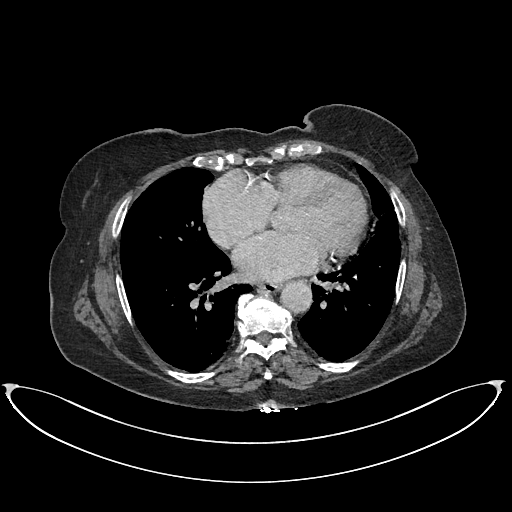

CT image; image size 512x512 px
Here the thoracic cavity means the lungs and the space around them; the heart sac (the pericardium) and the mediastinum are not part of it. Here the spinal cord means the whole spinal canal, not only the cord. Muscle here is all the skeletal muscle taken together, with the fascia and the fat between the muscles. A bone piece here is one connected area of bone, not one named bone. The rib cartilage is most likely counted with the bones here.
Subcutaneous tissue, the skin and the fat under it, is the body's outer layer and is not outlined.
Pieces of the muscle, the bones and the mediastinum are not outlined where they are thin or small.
The mediastinum appears in 3 outlined pieces: piece 1: (233, 267) (244, 278) (260, 284) (281, 283) (293, 278) (303, 276) (315, 276) (311, 283) (312, 303) (309, 309) (297, 321) (293, 321) (294, 318) (292, 313) (287, 308) (270, 297) (267, 293) (256, 295) (251, 292) (252, 286) (249, 283) (242, 283) (238, 281); piece 2: (328, 153) (330, 154) (337, 154) (351, 160) (352, 162) (355, 163) (355, 168) (358, 175) (354, 171) (351, 169) (349, 169) (346, 167) (345, 165) (337, 161) (334, 161) (330, 159) (326, 159) (322, 157) (303, 156) (305, 155) (315, 156) (320, 154) (327, 154); piece 3: (242, 163) (244, 163) (245, 165) (242, 165) (239, 167) (230, 167) (226, 171) (216, 176) (213, 176) (213, 175) (210, 172) (210, 171) (207, 169) (209, 169) (210, 170) (214, 170) (215, 171) (221, 171) (223, 170) (226, 167) (226, 164) (228, 165) (239, 165). The torso is outlined by (333, 103) (382, 116) (415, 148) (413, 170) (448, 233) (465, 296) (465, 325) (448, 354) (345, 399) (245, 411) (152, 399) (65, 359) (49, 324) (48, 273) (64, 231) (62, 188) (86, 152) (110, 139) (155, 128) (191, 134) (226, 127) (260, 132) (304, 127) (307, 113). The pericardium is outlined by (301, 157) (322, 158) (337, 162) (359, 177) (368, 192) (374, 218) (369, 234) (352, 259) (338, 268) (313, 276) (303, 275) (274, 283) (260, 283) (248, 279) (234, 268) (228, 256) (212, 241) (208, 234) (202, 219) (204, 188) (214, 177) (221, 175) (230, 168) (265, 165). The spinal cord is outlined by (263, 331) (266, 331) (267, 332) (268, 332) (269, 333) (270, 333) (273, 335) (273, 336) (271, 338) (271, 339) (269, 341) (269, 342) (266, 345) (264, 345) (263, 344) (260, 343) (258, 341) (257, 341) (255, 338) (255, 336) (256, 335) (257, 335) (259, 333) (260, 333). The muscle is outlined by (297, 138) (305, 138) (322, 141) (339, 148) (343, 148) (346, 150) (352, 151) (365, 157) (374, 164) (378, 171) (395, 182) (411, 203) (414, 213) (422, 230) (420, 234) (421, 235) (421, 254) (428, 267) (435, 276) (435, 280) (440, 289) (442, 298) (441, 310) (432, 320) (431, 324) (424, 332) (423, 336) (417, 343) (402, 350) (384, 360) (381, 363) (371, 367) (368, 370) (361, 373) (358, 373) (347, 379) (346, 378) (336, 379) (317, 385) (313, 385) (312, 387) (305, 389) (296, 389) (288, 387) (281, 383) (271, 380) (273, 377) (272, 372) (268, 367) (266, 367) (263, 372) (263, 378) (266, 380) (265, 382) (252, 391) (235, 393) (221, 390) (184, 388) (173, 385) (155, 376) (152, 376) (140, 371) (118, 358) (107, 348) (105, 344) (89, 328) (84, 326) (75, 319) (73, 313) (73, 306) (77, 298) (78, 291) (81, 288) (86, 276) (88, 274) (90, 257) (92, 254) (92, 251) (96, 240) (104, 225) (107, 215) (115, 203) (128, 190) (137, 184) (139, 180) (144, 175) (159, 166) (174, 162) (198, 152) (220, 148) (229, 150) (237, 147) (246, 147) (252, 150) (257, 150) (280, 141) with a hole at (300, 143) (396, 191) (406, 215) (398, 303) (345, 372) (319, 367) (324, 359) (293, 321) (297, 345) (267, 360) (236, 361) (235, 323) (213, 376) (185, 383) (168, 375) (174, 368) (129, 324) (118, 296) (121, 235) (111, 227) (121, 202) (130, 194) (130, 206) (197, 156). The thoracic cavity appears in 2 outlined pieces: piece 1: (192, 166) (206, 169) (213, 177) (204, 186) (201, 200) (201, 219) (207, 234) (229, 259) (237, 281) (249, 284) (251, 290) (237, 297) (234, 332) (230, 345) (218, 364) (209, 370) (186, 372) (160, 358) (136, 325) (121, 275) (120, 239) (129, 207) (140, 194) (170, 172); piece 2: (356, 164) (373, 175) (388, 193) (398, 224) (400, 259) (394, 284) (393, 302) (379, 331) (368, 345) (351, 359) (331, 361) (319, 356) (302, 338) (297, 322) (313, 303) (312, 283) (316, 276) (338, 269) (350, 262) (361, 250) (374, 228) (377, 218) (369, 192) (359, 176). The bones appear in 8 outlined pieces: piece 1: (249, 292) (256, 296) (267, 294) (291, 313) (293, 318) (292, 329) (297, 345) (293, 346) (288, 343) (286, 349) (276, 351) (267, 360) (256, 353) (248, 353) (239, 363) (236, 359) (241, 353) (235, 351) (238, 342) (238, 332) (235, 323) (237, 318) (236, 303) (241, 294), around a hole outlined by (263, 331) (266, 331) (267, 332) (268, 332) (269, 333) (270, 333) (273, 335) (273, 336) (271, 338) (271, 339) (269, 341) (269, 342) (266, 345) (264, 345) (263, 344) (260, 343) (258, 341) (257, 341) (255, 338) (255, 336) (256, 335) (257, 335) (259, 333) (260, 333); piece 2: (300, 143) (320, 145) (322, 152) (315, 155) (305, 154) (294, 158) (286, 155) (280, 160) (269, 163) (256, 162) (254, 165) (246, 165) (244, 162) (226, 163) (221, 170) (200, 168) (192, 164) (197, 156) (215, 158) (229, 152) (242, 157) (257, 156) (268, 154) (275, 147); piece 3: (165, 368) (170, 368) (174, 370) (177, 370) (178, 371) (182, 371) (186, 373) (196, 373) (197, 372) (204, 372) (205, 371) (215, 371) (215, 374) (213, 376) (201, 382) (196, 382) (195, 383) (185, 383) (182, 381) (180, 381) (168, 375) (164, 371) (164, 369); piece 4: (127, 194) (130, 194) (132, 196) (132, 199) (129, 204) (128, 209) (124, 217) (123, 223) (122, 224) (121, 230) (120, 231) (120, 234) (116, 238) (113, 238) (111, 234) (111, 227) (113, 223) (113, 220) (114, 219) (115, 214) (121, 202) (124, 199) (124, 198); piece 5: (116, 272) (118, 272) (120, 274) (122, 281) (123, 282) (125, 293) (126, 294) (127, 300) (131, 310) (132, 319) (134, 323) (132, 326) (129, 324) (123, 312) (123, 310) (121, 306) (121, 303) (118, 296) (118, 292) (117, 291) (116, 282) (115, 281) (115, 274); piece 6: (356, 358) (359, 358) (360, 359) (360, 362) (353, 368) (345, 372) (340, 372) (339, 373) (337, 373) (336, 372) (331, 372) (330, 371) (322, 369) (317, 365) (318, 363) (322, 362) (323, 360) (325, 360) (326, 361) (330, 361) (331, 362) (344, 362) (345, 361) (349, 361); piece 7: (390, 187) (393, 187) (396, 191) (400, 200) (403, 204) (403, 206) (405, 210) (406, 219) (405, 220) (405, 225) (403, 227) (399, 225) (398, 223) (398, 220) (397, 219) (397, 216) (396, 215) (396, 213) (394, 209) (394, 206) (392, 203) (391, 198) (388, 192) (388, 190); piece 8: (403, 257) (404, 257) (406, 260) (406, 271) (405, 272) (405, 277) (404, 278) (404, 282) (403, 283) (401, 295) (399, 301) (396, 305) (394, 304) (394, 299) (395, 298) (395, 284) (397, 279) (397, 273) (398, 272) (400, 260) (401, 258).